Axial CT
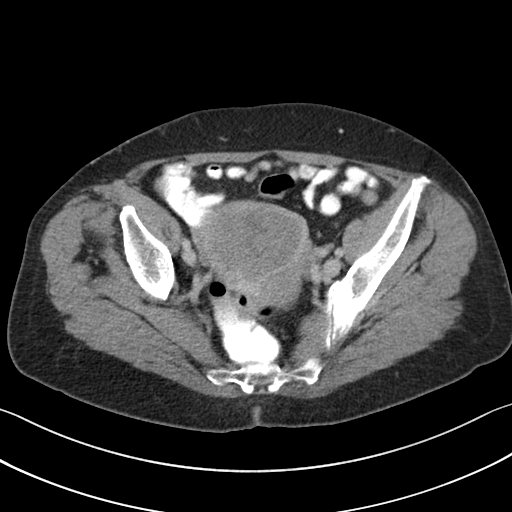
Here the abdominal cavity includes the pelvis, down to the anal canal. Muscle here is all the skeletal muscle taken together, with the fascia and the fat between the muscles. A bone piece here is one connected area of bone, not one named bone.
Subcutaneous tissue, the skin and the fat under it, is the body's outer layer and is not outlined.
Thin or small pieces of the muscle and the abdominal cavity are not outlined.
The bones appear in 3 outlined pieces: piece 1: [[422,174],[431,182],[421,193],[410,235],[403,250],[382,278],[364,309],[356,316],[348,332],[327,350],[324,346],[324,332],[328,325],[328,318],[320,306],[325,302],[326,291],[334,281],[344,276],[356,258],[369,250],[377,241],[408,190],[412,179]]; piece 2: [[126,204],[131,204],[134,206],[135,211],[138,217],[145,227],[156,238],[163,242],[169,249],[174,266],[175,281],[170,290],[167,299],[165,300],[156,298],[147,293],[138,284],[133,277],[129,265],[126,261],[123,248],[122,229],[118,218],[121,208]]; piece 3: [[311,356],[318,357],[323,365],[318,378],[314,383],[309,385],[303,380],[292,379],[272,393],[268,392],[264,383],[256,384],[252,393],[247,394],[235,382],[216,385],[206,377],[206,372],[212,368],[232,370],[249,363],[275,363],[288,371]]. The torso is outlined by [[295,101],[333,105],[388,122],[436,149],[461,173],[486,214],[511,290],[511,345],[501,357],[453,383],[345,422],[256,426],[223,433],[172,427],[114,413],[54,390],[16,369],[6,340],[9,305],[31,218],[56,189],[97,156],[183,114],[214,107]]. The abdominal cavity is outlined by [[268,154],[318,165],[359,164],[394,189],[343,229],[341,244],[350,265],[327,288],[324,302],[301,318],[283,363],[249,362],[233,368],[213,342],[208,314],[185,305],[180,295],[172,257],[182,237],[180,223],[139,183],[152,167],[169,161],[249,162]]. The muscle appears in 2 outlined pieces: piece 1: [[273,148],[422,173],[411,179],[380,236],[350,264],[344,229],[395,189],[359,163],[318,164],[275,153],[201,164],[180,158],[152,166],[139,180],[140,190],[177,220],[181,237],[173,256],[135,206],[124,204],[117,218],[132,277],[162,301],[178,281],[182,302],[207,314],[212,342],[232,368],[212,367],[205,377],[216,386],[235,383],[249,395],[198,393],[66,332],[45,291],[39,248],[47,223],[72,196],[151,159]]; piece 2: [[428,176],[463,206],[477,239],[455,326],[430,347],[326,395],[252,394],[258,384],[272,394],[292,380],[309,386],[318,380],[324,365],[318,356],[288,370],[282,366],[299,323],[320,307],[327,318],[327,351],[349,332],[404,250],[422,193],[432,182]].